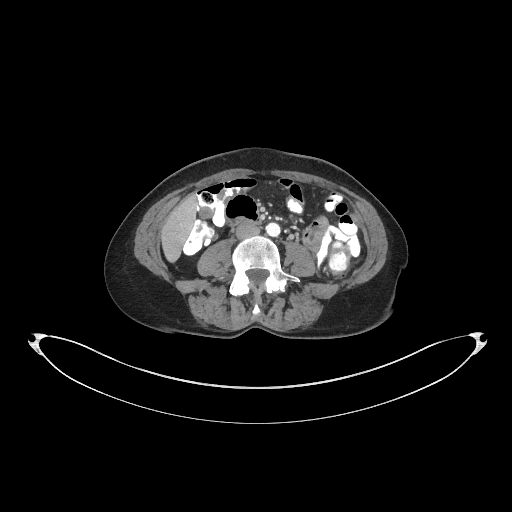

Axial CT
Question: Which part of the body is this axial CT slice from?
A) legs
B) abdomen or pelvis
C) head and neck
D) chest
Answer: B) abdomen or pelvis
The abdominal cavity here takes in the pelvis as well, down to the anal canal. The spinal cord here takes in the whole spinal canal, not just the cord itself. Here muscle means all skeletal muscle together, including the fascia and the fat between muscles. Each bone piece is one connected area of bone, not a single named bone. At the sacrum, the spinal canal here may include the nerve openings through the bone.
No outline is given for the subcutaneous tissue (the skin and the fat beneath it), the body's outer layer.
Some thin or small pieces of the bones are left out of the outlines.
Outlined structures:
spinal cord: 256,286 261,285 263,283 264,280 267,277 267,276 268,275 268,271 267,270 264,270 263,269 258,269 257,268 256,268 255,269 250,269 249,270 248,270 246,272 246,273 247,274 250,281 254,285 255,285
torso: 222,339 234,338 252,328 289,339 328,339 360,334 381,325 394,311 399,278 408,262 402,228 355,177 338,165 312,155 244,147 200,158 172,172 132,207 114,232 104,257 105,284 118,308 138,323 164,333
muscle: 289,333 299,333 312,327 320,317 326,300 368,281 384,265 388,250 385,228 375,208 366,199 342,185 310,173 231,168 171,191 145,212 135,232 134,256 154,275 181,293 201,327 213,331 233,331 258,322 with holes at 257,297 300,280 282,269 285,241 311,252 316,273 307,280 339,281 361,263 365,244 346,198 308,183 248,174 203,188 169,215 160,228 160,252 174,277 201,277 195,266 201,252 232,237 229,292 and at 253,315 257,315 259,313 259,311 260,310 259,309 259,307 258,306 258,304 257,303 257,302 256,302 254,304 254,305 253,306 253,309 252,310 252,313 253,314
abdominal cavity: 319,282 347,277 365,256 354,208 331,190 272,175 248,174 190,195 160,228 162,259 176,278 201,277 195,264 212,243 232,237 232,251 240,240 262,234 278,245 282,266 284,242 303,244 316,268 306,279
bones: 257,297 263,291 268,293 275,291 284,292 289,279 295,282 300,280 282,269 280,252 277,245 271,239 262,235 248,237 240,241 233,249 232,262 234,273 229,286 229,292 232,295 242,295 251,291 with a hole at 256,286 261,285 263,283 264,280 267,277 267,276 268,275 268,271 267,270 264,270 263,269 258,269 257,268 256,268 255,269 250,269 249,270 248,270 246,272 246,273 247,274 250,281 254,285 255,285